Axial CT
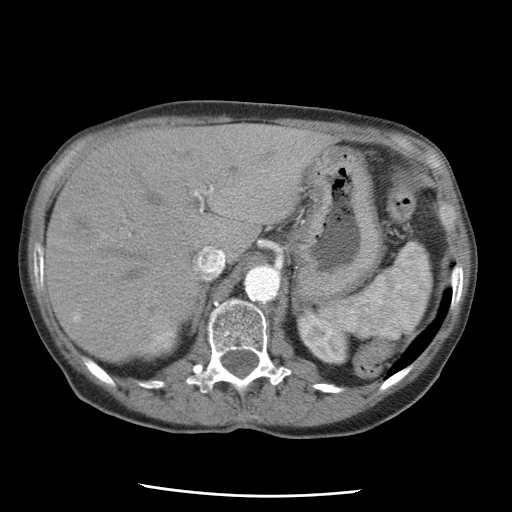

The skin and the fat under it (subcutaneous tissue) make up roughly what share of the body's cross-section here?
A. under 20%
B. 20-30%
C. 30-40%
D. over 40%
A. under 20%
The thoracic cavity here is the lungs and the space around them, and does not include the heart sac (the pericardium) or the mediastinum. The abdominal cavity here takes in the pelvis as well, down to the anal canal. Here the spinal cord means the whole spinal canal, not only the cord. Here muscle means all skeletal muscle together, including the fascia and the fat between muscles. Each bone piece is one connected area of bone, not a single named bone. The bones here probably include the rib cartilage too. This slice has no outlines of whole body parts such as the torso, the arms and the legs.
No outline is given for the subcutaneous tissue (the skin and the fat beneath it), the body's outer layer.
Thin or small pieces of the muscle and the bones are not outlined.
{"bones":[{"outer":[[232,298],[251,302],[261,309],[267,321],[270,359],[275,366],[289,368],[291,373],[276,385],[267,377],[259,377],[242,395],[225,381],[216,382],[211,391],[204,393],[198,385],[185,381],[188,376],[195,377],[206,369],[211,357],[206,329],[210,314]],"hole":[[237,350],[248,350],[249,351],[251,351],[253,353],[254,353],[258,358],[258,363],[257,365],[248,374],[247,374],[243,377],[239,377],[233,374],[231,372],[230,372],[222,364],[222,362],[221,361],[221,358],[222,356],[227,352],[229,351],[236,351]]},[[396,136],[403,136],[405,137],[422,152],[425,152],[427,150],[429,150],[436,154],[437,157],[441,161],[441,165],[442,166],[441,173],[438,174],[435,171],[429,168],[420,159],[421,156],[418,153],[411,151],[400,145],[396,138]],[[456,262],[458,262],[461,265],[462,269],[463,270],[463,284],[462,285],[462,290],[461,291],[461,297],[460,298],[460,301],[458,305],[454,309],[450,310],[449,308],[450,307],[451,298],[452,297],[452,288],[450,284],[450,278],[451,277],[453,266]],[[37,241],[41,241],[41,243],[42,244],[42,246],[43,247],[43,289],[40,289],[39,288],[38,288],[37,287],[37,286],[36,285],[36,283],[35,282],[35,277],[34,276],[34,267],[33,266],[33,252],[34,251],[34,247],[35,246],[35,243]],[[82,355],[84,355],[90,358],[97,364],[98,364],[112,378],[112,379],[115,383],[115,386],[111,386],[103,382],[101,380],[97,378],[93,374],[92,374],[89,371],[87,367],[84,364],[83,362],[83,360],[81,357]],[[441,198],[445,201],[446,201],[448,203],[449,203],[452,206],[455,212],[455,219],[454,220],[454,228],[452,229],[447,229],[446,227],[446,225],[444,223],[444,221],[442,219],[439,213],[439,208],[438,207],[440,204],[440,201],[441,200]],[[77,147],[77,149],[76,150],[76,153],[70,158],[68,163],[64,166],[62,170],[62,173],[54,181],[52,185],[52,188],[51,189],[49,187],[48,187],[46,184],[46,180],[49,174],[56,167],[56,166],[69,153],[69,152],[73,148],[76,148]],[[414,361],[414,363],[413,364],[413,366],[412,368],[404,377],[403,377],[399,381],[398,381],[393,385],[388,387],[386,389],[384,390],[382,390],[381,391],[379,390],[379,387],[380,385],[385,379],[386,379],[397,371],[409,365],[412,362]],[[320,382],[327,382],[328,383],[333,383],[339,386],[343,386],[345,387],[345,389],[343,391],[341,391],[340,392],[337,392],[336,393],[334,393],[333,392],[323,392],[320,390],[317,390],[313,388],[312,386],[312,384],[313,383],[319,383]]],"muscle":[{"outer":[[222,114],[225,114],[232,117],[248,117],[249,116],[257,116],[265,118],[290,117],[291,118],[302,118],[303,119],[323,120],[324,121],[344,121],[348,123],[358,125],[369,125],[383,128],[392,128],[416,137],[431,146],[439,154],[450,174],[467,231],[471,250],[471,272],[469,284],[467,293],[465,296],[465,300],[460,313],[459,321],[453,332],[451,333],[445,341],[441,349],[429,365],[413,381],[397,391],[388,395],[375,405],[364,411],[345,419],[329,424],[322,424],[317,426],[305,426],[304,427],[294,427],[283,425],[265,425],[253,421],[236,421],[224,425],[199,425],[198,424],[197,425],[188,425],[187,424],[167,422],[129,409],[103,389],[91,382],[84,375],[76,371],[60,353],[48,331],[48,329],[41,316],[36,299],[32,293],[31,286],[29,282],[28,269],[27,268],[27,240],[28,239],[28,227],[30,220],[29,216],[35,195],[38,190],[42,178],[59,155],[73,141],[80,136],[88,132],[91,132],[94,130],[97,130],[110,125],[119,124],[134,119],[158,115],[221,115]],"holes":[[[249,120],[315,128],[398,152],[424,166],[452,206],[447,235],[463,270],[460,301],[408,373],[386,389],[379,390],[382,380],[336,393],[313,388],[328,381],[292,353],[275,317],[267,351],[275,366],[291,370],[276,385],[259,377],[241,395],[225,381],[207,393],[186,383],[211,357],[202,325],[186,355],[146,379],[163,387],[111,374],[111,386],[89,371],[46,290],[37,287],[33,252],[47,211],[90,150],[146,126]],[[396,136],[403,136],[405,137],[422,152],[425,152],[427,150],[429,150],[436,154],[437,157],[441,161],[441,165],[442,166],[441,173],[438,174],[435,171],[429,168],[420,159],[421,156],[418,153],[411,151],[400,145],[396,138]],[[77,147],[77,149],[76,150],[76,153],[70,158],[68,163],[64,166],[62,170],[62,173],[54,181],[52,185],[52,188],[51,189],[49,187],[48,187],[46,184],[46,180],[49,174],[56,167],[56,166],[69,153],[69,152],[73,148],[76,148]]]}],"spinal_cord":[[[237,350],[248,350],[249,351],[251,351],[253,353],[254,353],[258,358],[258,363],[257,365],[248,374],[247,374],[243,377],[239,377],[233,374],[231,372],[230,372],[222,364],[222,362],[221,361],[221,358],[222,356],[227,352],[229,351],[236,351]]],"thoracic_cavity":[[[450,287],[451,288],[451,297],[450,298],[449,307],[445,315],[445,317],[443,319],[443,321],[433,339],[425,349],[413,361],[404,367],[397,370],[386,378],[386,376],[390,368],[402,356],[404,352],[416,337],[436,317],[438,313],[438,310],[443,294]]],"abdominal_cavity":[[[249,120],[379,145],[432,174],[455,262],[450,286],[435,317],[383,380],[361,386],[328,381],[292,353],[275,317],[268,327],[259,306],[237,297],[210,312],[186,355],[144,380],[109,374],[58,325],[44,288],[42,236],[58,188],[86,154],[146,126]]]}